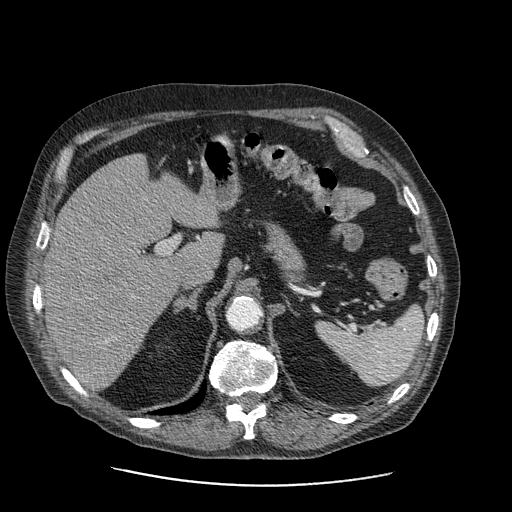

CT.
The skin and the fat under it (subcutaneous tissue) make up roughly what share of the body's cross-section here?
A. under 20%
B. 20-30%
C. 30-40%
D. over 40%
Answer: A. under 20%
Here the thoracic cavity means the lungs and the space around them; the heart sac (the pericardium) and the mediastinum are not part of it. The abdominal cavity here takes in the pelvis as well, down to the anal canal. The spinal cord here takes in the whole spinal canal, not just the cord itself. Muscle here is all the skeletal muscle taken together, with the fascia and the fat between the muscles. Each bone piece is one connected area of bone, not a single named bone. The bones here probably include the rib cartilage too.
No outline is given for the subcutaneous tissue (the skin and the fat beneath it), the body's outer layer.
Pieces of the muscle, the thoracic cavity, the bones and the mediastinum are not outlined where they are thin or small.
The torso is outlined by 168,82 290,82 312,85 363,103 386,119 406,141 445,206 460,262 460,295 453,338 431,393 406,427 314,458 206,459 142,447 116,437 46,394 12,329 4,296 7,247 35,161 52,132 84,106 114,93. The abdominal cavity is outlined by 229,114 329,133 354,157 386,172 417,220 431,280 421,348 403,382 368,405 327,409 291,391 279,374 267,309 239,286 215,308 217,327 198,391 144,413 88,391 46,331 44,250 56,208 83,159 167,122. The thoracic cavity is outlined by 209,366 207,372 208,382 206,388 206,393 202,401 199,405 195,408 183,413 176,413 169,415 150,415 145,413 148,413 162,408 166,408 170,406 175,406 191,398 192,396 199,391 201,383 203,380 207,368. The spinal cord is outlined by 249,391 252,391 253,392 257,392 260,395 260,400 259,402 253,408 252,408 248,411 244,411 243,409 243,406 239,403 237,403 236,402 232,401 231,400 231,397 234,397 235,396 240,396 243,393 245,393. The bones appear in 11 outlined pieces: piece 1: 233,339 249,340 266,346 272,352 277,362 278,377 276,383 263,396 266,403 266,414 255,421 253,425 255,436 252,439 244,439 245,427 240,421 228,421 226,419 226,397 212,387 208,379 213,356 227,341 with a hole at 249,391 252,391 253,392 257,392 260,395 260,400 259,402 253,408 252,408 248,411 244,411 243,409 243,406 239,403 237,403 236,402 232,401 231,400 231,397 234,397 235,396 240,396 243,393 245,393; piece 2: 325,114 335,117 340,121 345,123 353,130 360,134 363,137 366,145 370,150 369,153 364,158 361,158 359,156 354,156 350,153 350,152 344,147 342,144 342,142 333,134 328,126 323,121 322,117 323,115; piece 3: 92,130 101,130 101,132 90,139 87,142 81,145 75,145 74,146 73,148 73,155 67,169 66,182 63,184 57,183 55,181 55,171 60,157 67,148 70,146 72,146 74,144 74,141 78,136; piece 4: 126,416 140,416 141,417 148,417 149,418 151,418 152,419 154,419 155,420 157,420 158,421 161,421 161,424 157,427 152,427 151,428 141,428 140,427 137,427 136,426 131,424 125,418 125,417; piece 5: 44,219 48,222 49,225 51,227 51,232 45,248 43,250 41,250 40,249 38,249 36,247 36,241 37,240 37,237 38,236 38,233 39,232 39,229 40,228 41,222 42,220; piece 6: 60,365 63,365 75,377 75,378 79,382 79,383 87,391 87,392 89,394 89,396 86,397 80,394 78,392 77,392 73,388 73,387 69,384 69,383 64,378 64,377 62,375 59,369 59,366; piece 7: 403,184 406,184 409,187 410,190 412,192 412,193 414,195 416,199 416,201 418,204 418,206 419,207 419,210 420,211 420,213 418,216 416,216 412,213 411,210 408,207 403,197 403,195 402,194 402,185; piece 8: 334,412 353,412 354,413 355,413 358,416 358,418 357,419 356,419 354,421 353,421 350,423 338,423 337,422 335,422 334,421 332,421 331,420 329,420 327,418 328,417 328,416 329,416 331,414 332,414; piece 9: 433,311 435,311 437,312 437,314 438,315 438,325 437,326 437,328 436,329 435,334 432,340 430,341 428,341 426,338 427,336 427,334 426,333 426,327 427,326 427,322 430,316 430,314; piece 10: 35,283 38,283 40,285 40,287 41,288 41,294 42,295 41,296 42,297 42,308 41,309 41,312 39,314 36,313 34,309 34,307 33,306 33,302 32,301 32,296 33,295 33,289 34,288 34,285; piece 11: 404,382 408,382 410,384 410,387 409,388 409,389 407,391 407,392 396,401 395,401 390,404 388,404 387,403 387,401 388,400 388,399 390,397 390,396 391,395 391,394 393,392 393,391 400,384 401,384. The mediastinum is outlined by 238,287 247,289 261,302 266,309 266,315 267,316 266,330 272,351 266,345 259,342 243,338 233,338 227,340 215,352 212,356 211,361 208,366 212,345 218,327 218,317 216,313 216,308 224,296 230,290. The muscle is outlined by 306,106 323,106 327,108 331,108 351,119 358,126 372,136 396,158 409,173 426,206 430,219 430,223 433,230 436,243 438,246 439,254 443,264 443,273 445,275 445,290 446,292 443,307 442,328 432,363 432,367 430,369 430,373 423,382 423,385 410,400 410,402 403,405 393,415 389,416 359,432 344,438 340,441 326,445 321,448 308,450 293,450 276,447 263,442 250,441 249,442 241,442 225,449 215,451 204,451 193,448 172,445 138,434 134,434 132,432 127,431 119,427 112,422 100,418 64,394 56,384 33,343 24,316 23,295 22,294 24,259 25,258 25,250 28,245 29,229 31,226 35,210 37,207 38,199 41,193 46,173 52,161 59,153 60,150 76,134 90,127 106,122 117,121 129,117 143,115 148,113 161,112 162,111 177,111 178,110 249,110 250,109 262,109 263,108 293,108 with holes at 229,114 332,136 322,117 335,117 363,137 363,159 402,198 403,184 414,195 424,253 437,268 427,318 437,312 438,325 430,341 424,329 403,380 410,387 396,401 387,403 392,390 338,423 327,418 342,410 304,402 279,374 254,438 244,439 209,382 195,408 150,415 86,397 62,375 32,301 42,220 53,225 91,153 167,122 and at 92,130 101,130 101,132 90,139 87,142 81,145 75,145 74,146 73,148 73,155 67,169 66,182 63,184 57,183 55,181 55,171 60,157 67,148 70,146 72,146 74,144 74,141 78,136 and at 126,416 140,416 141,417 148,417 149,418 151,418 152,419 154,419 155,420 157,420 158,421 161,421 161,424 157,427 152,427 151,428 141,428 140,427 137,427 136,426 131,424 125,418 125,417.